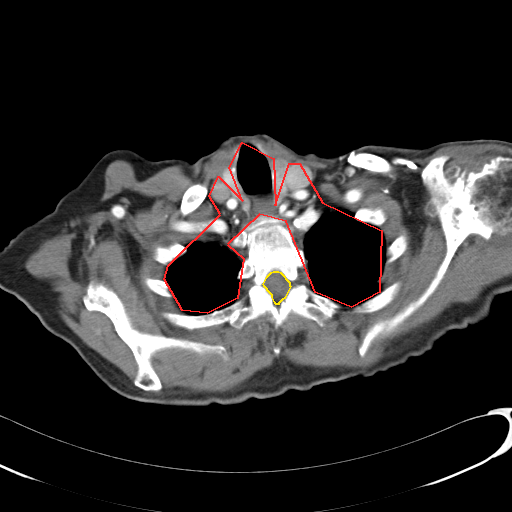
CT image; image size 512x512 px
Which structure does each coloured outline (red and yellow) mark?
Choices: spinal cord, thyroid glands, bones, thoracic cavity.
red: thoracic cavity; yellow: spinal cord.
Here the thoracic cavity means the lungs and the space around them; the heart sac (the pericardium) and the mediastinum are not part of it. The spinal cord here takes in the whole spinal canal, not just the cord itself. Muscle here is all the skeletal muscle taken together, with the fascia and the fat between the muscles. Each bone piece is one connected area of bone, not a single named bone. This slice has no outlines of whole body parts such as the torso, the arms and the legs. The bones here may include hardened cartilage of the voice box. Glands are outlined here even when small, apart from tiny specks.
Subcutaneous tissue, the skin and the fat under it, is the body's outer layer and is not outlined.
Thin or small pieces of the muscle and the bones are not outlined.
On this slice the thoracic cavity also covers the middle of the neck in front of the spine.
{"thoracic_cavity":[[[242,142],[273,158],[275,205],[289,163],[299,163],[322,202],[381,230],[379,292],[351,307],[315,292],[286,221],[259,214],[227,244],[243,258],[237,298],[207,313],[182,310],[164,279],[168,265],[220,214],[209,196],[218,176],[242,200],[229,167]]],"spinal_cord":[[[273,271],[278,271],[280,272],[289,282],[289,285],[290,286],[284,298],[282,299],[278,303],[278,304],[276,304],[275,303],[272,297],[272,295],[267,290],[267,289],[264,286],[263,284],[267,276],[271,272]]],"muscle":[{"outer":[[242,137],[271,140],[312,161],[338,164],[345,159],[373,172],[391,168],[379,156],[423,158],[456,145],[511,147],[511,156],[496,155],[477,170],[463,169],[452,181],[443,170],[445,155],[422,170],[444,236],[444,256],[417,298],[367,328],[357,348],[362,358],[376,338],[393,332],[425,303],[470,235],[488,240],[492,234],[511,233],[511,275],[393,342],[370,367],[318,368],[278,358],[231,390],[178,393],[153,392],[163,388],[152,364],[156,352],[179,348],[222,355],[225,347],[141,331],[119,296],[91,280],[83,305],[104,314],[130,349],[137,365],[133,382],[62,321],[25,261],[43,240],[97,201],[112,161],[129,161],[139,180],[174,165],[196,178],[213,154]],"holes":[[[242,142],[261,146],[274,160],[309,168],[312,189],[322,202],[354,213],[359,208],[382,209],[386,219],[379,228],[387,246],[401,234],[407,236],[407,248],[384,267],[384,288],[400,282],[390,303],[372,312],[344,307],[323,326],[290,313],[278,329],[269,313],[240,328],[225,322],[187,329],[162,316],[184,312],[175,297],[160,295],[143,281],[165,278],[168,266],[153,258],[154,248],[204,238],[220,214],[209,190]],[[196,183],[200,183],[201,184],[203,184],[205,185],[207,187],[207,193],[204,199],[201,202],[201,203],[193,211],[188,213],[186,215],[183,215],[180,211],[180,205],[181,204],[182,197],[185,191],[191,185],[193,184],[195,184]],[[274,346],[275,346],[276,346],[277,346],[278,346],[279,347],[280,348],[280,349],[280,350],[280,351],[279,352],[279,353],[278,354],[277,354],[276,354],[275,353],[274,352],[273,351],[273,350],[273,349],[273,348],[274,347]]]}],"bones":[{"outer":[[259,215],[285,221],[306,260],[306,267],[301,270],[303,281],[312,291],[343,308],[323,326],[290,313],[278,329],[269,313],[240,328],[225,322],[187,329],[163,317],[163,312],[207,314],[247,297],[250,281],[237,278],[246,250],[228,244],[246,222]],"hole":[[273,271],[278,271],[280,272],[289,282],[289,285],[290,286],[284,298],[282,299],[278,303],[278,304],[276,304],[275,303],[272,297],[272,295],[267,290],[267,289],[264,286],[263,284],[267,276],[271,272]]},[[439,156],[446,157],[442,170],[451,182],[463,170],[477,171],[496,156],[511,157],[511,232],[492,233],[488,239],[470,234],[424,303],[393,331],[376,337],[362,357],[358,348],[368,328],[417,299],[445,256],[445,236],[422,180],[423,170]],[[91,281],[103,284],[118,296],[135,329],[154,335],[221,345],[225,350],[222,354],[198,353],[179,347],[158,350],[151,357],[151,364],[162,388],[153,391],[136,386],[134,379],[138,365],[131,349],[120,338],[104,313],[90,311],[84,305],[82,298]],[[395,282],[400,282],[400,288],[398,291],[398,293],[396,295],[394,299],[386,306],[378,310],[376,310],[372,312],[352,312],[351,311],[351,308],[352,307],[358,304],[360,304],[362,302],[373,297],[375,295],[379,293],[384,288],[391,285]],[[351,151],[354,151],[356,153],[367,153],[368,154],[372,154],[373,155],[381,157],[383,159],[386,160],[389,163],[390,168],[389,170],[387,171],[373,171],[372,170],[370,170],[366,168],[354,166],[350,164],[346,159],[346,157]],[[196,183],[200,183],[201,184],[203,184],[205,185],[207,187],[207,193],[204,199],[201,202],[201,203],[193,211],[188,213],[186,215],[183,215],[180,211],[180,205],[181,204],[182,197],[185,191],[191,185],[193,184],[195,184]],[[175,242],[177,243],[179,243],[186,247],[186,252],[184,254],[183,254],[181,256],[180,256],[178,258],[177,258],[175,260],[174,260],[172,262],[171,262],[167,265],[164,265],[158,262],[153,258],[153,252],[154,251],[154,248],[156,246],[168,246]],[[359,208],[370,208],[371,209],[374,209],[375,208],[380,208],[382,209],[386,214],[386,219],[385,221],[379,227],[378,226],[376,226],[375,225],[373,225],[372,224],[370,224],[366,222],[358,221],[356,219],[355,219],[354,217],[354,214],[355,212]],[[401,234],[405,234],[407,236],[407,241],[408,242],[408,244],[407,245],[407,248],[404,251],[404,252],[396,259],[395,259],[393,261],[392,261],[389,263],[386,263],[386,248],[387,247],[387,246],[388,245],[389,245],[398,236],[399,236]],[[146,277],[150,277],[151,278],[154,278],[155,279],[161,279],[162,280],[164,280],[166,281],[169,285],[169,289],[171,293],[173,295],[173,296],[172,297],[167,297],[166,296],[163,296],[151,290],[144,283],[143,281],[144,278]]],"thyroid_glands":[[[273,160],[283,160],[288,163],[287,168],[286,169],[286,172],[285,173],[285,186],[287,189],[287,191],[283,199],[278,204],[275,204],[274,203],[274,199],[273,198],[273,183],[274,181],[273,180],[273,176],[271,175],[271,166],[272,165]],[[228,167],[229,168],[232,168],[233,169],[233,171],[234,172],[234,176],[236,179],[237,184],[240,190],[240,193],[242,196],[241,200],[237,199],[230,193],[226,187],[223,181],[223,179],[221,178],[221,174],[222,173],[222,171],[225,168],[227,168]]]}